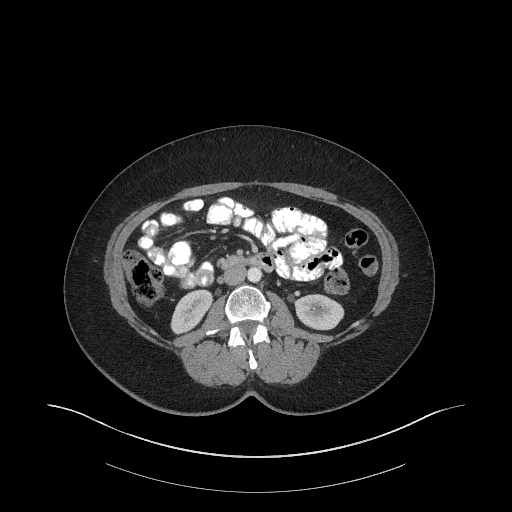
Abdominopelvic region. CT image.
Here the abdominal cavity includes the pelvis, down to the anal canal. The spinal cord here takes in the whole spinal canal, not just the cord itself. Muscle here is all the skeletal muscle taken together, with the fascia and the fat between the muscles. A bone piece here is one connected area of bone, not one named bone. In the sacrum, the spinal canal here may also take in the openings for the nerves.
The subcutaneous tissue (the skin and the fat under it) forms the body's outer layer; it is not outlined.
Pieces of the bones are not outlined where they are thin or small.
The torso is outlined by [[194,416],[225,411],[249,396],[290,415],[334,411],[378,389],[415,351],[433,310],[431,248],[408,199],[369,160],[300,130],[262,124],[221,126],[147,152],[121,170],[91,204],[77,228],[65,265],[63,300],[70,329],[92,364],[124,392],[152,408]]. The spinal cord is outlined by [[244,334],[250,334],[251,333],[253,333],[255,330],[255,328],[256,327],[256,326],[257,325],[258,322],[255,320],[245,320],[244,321],[241,321],[240,322],[237,323],[237,325],[240,328],[240,330],[241,331],[241,332]]. The abdominal cavity is outlined by [[170,339],[199,327],[213,302],[241,284],[256,286],[266,297],[268,290],[282,297],[296,325],[336,333],[365,315],[375,301],[382,265],[377,239],[365,224],[339,207],[268,186],[239,187],[173,201],[143,220],[123,250],[124,279],[132,308],[145,323]]. The bones appear in 2 outlined pieces: piece 1: [[229,346],[245,345],[251,341],[253,344],[260,341],[269,342],[270,340],[268,334],[268,328],[264,323],[264,320],[267,317],[270,308],[270,303],[264,294],[254,286],[241,285],[235,288],[229,294],[226,300],[225,313],[231,324],[227,343]]; inner edge: [[244,334],[250,334],[251,333],[253,333],[255,330],[255,328],[256,327],[256,326],[257,325],[258,322],[255,320],[245,320],[244,321],[241,321],[240,322],[237,323],[237,325],[240,328],[240,330],[241,331],[241,332]]; piece 2: [[251,369],[255,369],[256,368],[256,367],[257,366],[257,363],[256,362],[256,360],[255,359],[255,358],[254,357],[254,356],[253,355],[253,353],[252,352],[252,349],[250,347],[249,347],[248,348],[248,354],[249,355],[249,366],[250,367],[250,368]]. The muscle is outlined by [[209,387],[235,386],[255,375],[266,383],[292,385],[307,377],[323,351],[361,334],[371,325],[387,307],[399,280],[396,241],[372,211],[310,185],[284,181],[224,181],[184,188],[134,210],[116,226],[103,262],[112,306],[140,335],[179,357],[196,382]] with holes at [[229,346],[269,342],[264,323],[270,308],[268,290],[284,299],[296,325],[304,329],[333,334],[354,327],[377,294],[382,261],[373,232],[339,207],[268,186],[190,196],[143,220],[123,250],[124,279],[134,311],[171,339],[199,327],[213,302],[226,294]] and at [[251,369],[255,369],[256,368],[256,367],[257,366],[257,363],[256,362],[256,360],[255,359],[255,358],[254,357],[254,356],[253,355],[253,353],[252,352],[252,349],[250,347],[249,347],[248,348],[248,354],[249,355],[249,366],[250,367],[250,368]] and at [[207,335],[208,335],[209,334],[212,334],[213,333],[215,333],[216,332],[217,332],[219,330],[219,329],[218,328],[217,328],[216,329],[212,329],[211,330],[208,330],[207,331],[206,331],[206,332],[205,333]].